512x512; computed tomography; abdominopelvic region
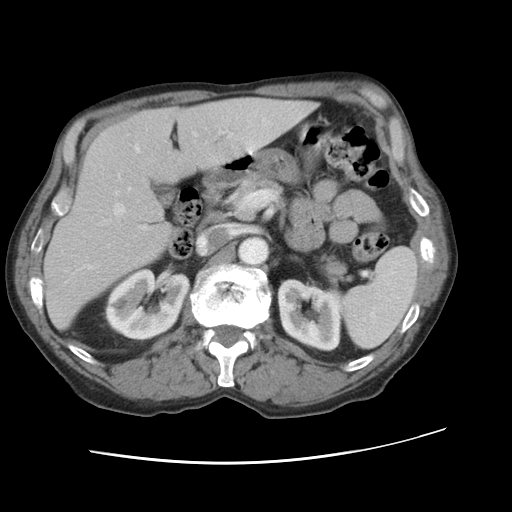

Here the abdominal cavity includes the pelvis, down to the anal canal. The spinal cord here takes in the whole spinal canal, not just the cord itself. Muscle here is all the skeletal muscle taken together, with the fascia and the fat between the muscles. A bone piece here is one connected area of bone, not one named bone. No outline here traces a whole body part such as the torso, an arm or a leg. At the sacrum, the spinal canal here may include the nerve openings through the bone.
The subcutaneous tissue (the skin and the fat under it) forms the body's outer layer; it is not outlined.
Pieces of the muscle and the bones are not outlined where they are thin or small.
Outlines (x, y in pixels):
spinal cord: 220,325 231,325 232,326 236,326 237,327 239,327 243,329 243,332 242,333 242,336 243,338 241,338 237,340 230,346 228,346 227,347 223,345 220,342 215,340 213,338 216,333 213,328 216,326 219,326
bones 1: 228,264 259,268 265,272 271,293 271,303 269,319 252,329 257,344 234,361 232,370 234,385 222,387 217,383 220,365 216,357 206,348 196,349 195,347 202,339 205,328 197,322 191,312 190,295 200,271, around a hole outlined by 220,325 231,325 232,326 236,326 237,327 239,327 243,329 243,332 242,333 242,336 243,338 241,338 237,340 230,346 228,346 227,347 223,345 220,342 215,340 213,338 216,333 213,328 216,326 219,326
bones 2: 391,117 395,117 398,120 401,127 401,130 402,131 402,140 404,144 404,154 403,155 403,159 401,161 398,161 396,160 396,157 392,151 392,142 391,141 391,136 390,135 390,130 389,129 389,121
bones 3: 63,187 66,187 68,188 70,190 71,190 72,192 72,199 71,200 71,206 69,208 69,210 62,216 55,216 52,212 52,211 50,209 50,204 51,203 51,201 52,199 57,193 57,192 61,188
bones 4: 77,121 84,121 84,124 81,127 80,130 76,135 76,138 73,143 73,151 74,152 74,157 71,161 70,161 68,163 66,163 64,161 64,158 63,157 64,141 65,140 66,135 69,129 71,127 71,126
bones 5: 31,276 37,276 41,279 41,286 42,287 42,303 43,304 43,311 42,312 40,312 39,311 39,310 36,307 36,306 33,303 33,302 32,301 32,298 31,297 30,290 29,289 29,287 28,286 28,281
bones 6: 410,187 412,187 414,188 423,197 423,198 427,203 429,207 429,209 430,210 429,211 429,213 426,216 421,216 419,215 415,211 415,210 411,205 411,201 409,197 409,194 410,193 409,191 409,189
bones 7: 423,236 424,236 427,238 429,238 432,241 432,242 433,243 433,245 435,248 435,251 434,252 434,254 433,255 433,262 432,263 429,263 428,262 423,260 420,255 420,251 419,250 419,243 420,242 420,239
bones 8: 414,302 417,302 419,304 419,313 418,314 418,317 417,318 417,319 402,334 401,334 399,331 399,330 401,327 401,324 402,323 402,322 403,321 403,320 404,319 406,314 408,312 408,310 410,308 411,305
bones 9: 370,353 372,353 374,357 373,359 368,364 367,364 365,366 359,369 354,370 353,371 345,371 343,369 343,367 348,362 349,362 351,360 353,360 354,359 359,358 362,356 364,356
bones 10: 68,343 71,343 76,346 78,346 82,348 84,350 87,351 89,353 90,353 97,360 97,363 96,364 92,364 89,362 87,362 83,360 81,358 80,358 78,356 74,354 67,347 67,344
bones 11: 359,89 367,89 368,90 370,90 371,91 372,91 373,92 374,92 375,93 376,93 377,94 380,95 385,99 385,100 386,101 386,106 385,107 379,107 377,105 375,105 361,92 360,92 359,91
muscle: 352,79 373,82 390,97 443,213 449,252 447,277 419,334 397,360 352,389 304,406 270,404 232,388 236,359 255,348 258,341 253,329 268,320 278,335 316,359 350,360 342,367 345,372 368,365 375,357 372,352 399,328 402,335 418,319 420,304 415,298 422,260 432,264 436,251 429,237 423,235 419,242 417,214 426,217 431,210 414,187 409,187 408,196 396,164 404,159 405,144 395,116 386,122 355,101 264,93 232,93 159,105 135,111 101,130 78,162 72,188 61,187 50,201 55,223 41,253 40,276 31,275 27,281 32,303 44,313 51,328 62,338 91,347 105,362 133,358 172,333 182,323 189,301 192,316 204,328 194,347 206,349 215,357 219,365 216,383 221,387 188,399 131,400 79,373 53,352 19,300 14,264 21,230 50,174 58,143 76,118 94,108 170,91 225,92 278,83, around holes outlined by 77,121 84,121 84,124 81,127 80,130 76,135 76,138 73,143 73,151 74,152 74,157 71,161 70,161 68,163 66,163 64,161 64,158 63,157 64,141 65,140 66,135 69,129 71,127 71,126 and by 68,343 71,343 76,346 78,346 82,348 84,350 87,351 89,353 90,353 97,360 97,363 96,364 92,364 89,362 87,362 83,360 81,358 80,358 78,356 74,354 67,347 67,344 and by 359,89 367,89 368,90 370,90 371,91 372,91 373,92 374,92 375,93 376,93 377,94 380,95 385,99 385,100 386,101 386,106 385,107 379,107 377,105 375,105 361,92 360,92 359,91 and by 40,227 41,227 43,229 43,243 42,244 42,246 41,247 39,252 38,253 35,253 34,252 31,251 31,250 30,249 30,246 31,245 31,243 32,242 32,241 36,234 36,232 37,231 37,230
abdominal cavity: 232,94 355,102 388,123 421,258 419,287 399,327 359,357 316,358 274,330 266,272 228,263 200,270 179,326 133,357 105,361 91,346 60,336 44,312 40,261 56,217 72,206 75,172 89,145 135,112